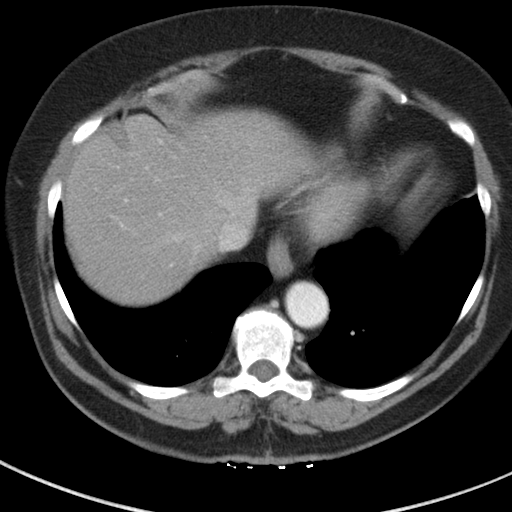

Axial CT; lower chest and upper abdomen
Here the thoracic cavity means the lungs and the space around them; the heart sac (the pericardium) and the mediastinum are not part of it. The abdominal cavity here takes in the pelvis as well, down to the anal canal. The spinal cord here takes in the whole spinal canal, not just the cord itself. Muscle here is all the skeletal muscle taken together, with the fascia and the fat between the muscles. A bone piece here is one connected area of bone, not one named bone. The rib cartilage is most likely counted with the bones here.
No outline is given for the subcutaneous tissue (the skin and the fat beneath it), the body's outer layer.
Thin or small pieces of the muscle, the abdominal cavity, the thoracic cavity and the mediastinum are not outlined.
pericardium: (365, 142) (371, 146) (374, 145) (377, 147) (385, 163) (385, 179) (382, 189) (383, 194) (379, 198) (373, 216) (351, 237) (325, 247) (316, 249) (310, 248) (301, 236) (290, 229) (283, 219) (275, 216) (274, 208) (286, 187) (302, 176) (313, 165) (329, 157) (356, 149)
spinal cord: (259, 360) (267, 360) (268, 361) (270, 361) (274, 365) (275, 365) (275, 366) (277, 368) (277, 373) (275, 375) (272, 376) (269, 379) (265, 381) (261, 381) (259, 380) (259, 379) (255, 375) (249, 372) (249, 369) (250, 367) (255, 362)
bones 1: (253, 307) (276, 312) (295, 331) (294, 346) (287, 370) (297, 379) (309, 378) (313, 381) (314, 388) (309, 399) (303, 400) (283, 390) (274, 391) (262, 398) (246, 389) (221, 397) (213, 394) (211, 383) (215, 376) (232, 376) (240, 368) (231, 340) (231, 332) (236, 318); inner edge: (259, 360) (267, 360) (268, 361) (270, 361) (274, 365) (275, 365) (275, 366) (277, 368) (277, 373) (275, 375) (272, 376) (269, 379) (265, 381) (261, 381) (259, 380) (259, 379) (255, 375) (249, 372) (249, 369) (250, 367) (255, 362)
bones 2: (408, 373) (409, 374) (410, 373) (417, 373) (411, 381) (400, 389) (388, 395) (386, 395) (380, 399) (370, 400) (369, 401) (358, 401) (350, 398) (343, 397) (338, 394) (336, 391) (336, 389) (344, 387) (346, 388) (359, 388) (360, 389) (371, 388) (387, 383) (404, 374)
bones 3: (190, 69) (202, 69) (206, 71) (210, 74) (207, 79) (204, 79) (201, 81) (190, 81) (185, 85) (183, 85) (181, 87) (178, 87) (170, 91) (160, 91) (156, 93) (152, 93) (149, 95) (144, 96) (144, 94) (148, 87) (153, 86) (160, 82) (169, 80) (175, 75)
bones 4: (357, 72) (366, 72) (367, 73) (371, 73) (372, 74) (376, 74) (379, 76) (382, 76) (392, 83) (399, 90) (403, 92) (407, 96) (408, 98) (407, 102) (405, 104) (396, 103) (383, 91) (380, 91) (377, 89) (360, 83) (360, 82) (358, 81) (355, 74)
bones 5: (130, 380) (139, 381) (142, 383) (145, 383) (153, 386) (161, 386) (162, 387) (184, 386) (188, 388) (189, 391) (187, 393) (175, 397) (171, 397) (166, 399) (154, 399) (153, 398) (150, 398) (144, 396) (140, 394) (133, 388) (130, 387) (127, 384) (127, 382)
bones 6: (100, 114) (103, 115) (103, 119) (100, 123) (97, 129) (96, 129) (95, 131) (93, 132) (93, 133) (92, 133) (81, 143) (73, 145) (71, 143) (71, 139) (75, 131) (80, 125) (80, 124) (81, 124) (88, 118) (91, 118) (94, 116) (97, 116)
bones 7: (456, 117) (463, 119) (466, 122) (467, 122) (467, 123) (470, 126) (474, 134) (474, 138) (475, 139) (475, 141) (474, 142) (474, 144) (473, 146) (470, 146) (468, 145) (464, 141) (463, 141) (460, 138) (456, 136) (450, 130) (447, 124) (447, 120) (449, 118) (455, 118)
bones 8: (54, 276) (56, 276) (57, 277) (59, 281) (59, 283) (63, 290) (63, 292) (67, 299) (67, 301) (71, 308) (71, 310) (74, 315) (74, 317) (81, 328) (82, 332) (80, 332) (73, 325) (62, 309) (58, 301) (58, 299) (54, 289) (54, 285) (53, 284) (53, 278)
bones 9: (481, 272) (483, 272) (483, 274) (484, 275) (484, 279) (483, 280) (483, 282) (482, 283) (481, 288) (479, 291) (479, 293) (477, 295) (470, 309) (467, 312) (467, 313) (464, 316) (464, 317) (458, 324) (455, 324) (455, 322) (461, 311) (461, 309) (478, 275)
bones 10: (57, 179) (60, 179) (62, 181) (62, 185) (61, 186) (61, 195) (60, 196) (60, 198) (57, 203) (57, 205) (55, 209) (55, 213) (54, 214) (54, 217) (53, 219) (51, 219) (48, 216) (48, 214) (47, 213) (47, 196) (48, 195) (48, 191) (51, 185)
bones 11: (479, 181) (481, 182) (487, 188) (490, 195) (490, 198) (491, 199) (491, 206) (490, 207) (490, 212) (487, 219) (485, 219) (484, 214) (481, 209) (481, 207) (479, 203) (479, 200) (478, 199) (478, 196) (477, 194) (475, 192) (474, 192) (474, 189) (475, 188) (476, 183)
thoracic cavity 1: (475, 183) (473, 192) (484, 217) (483, 259) (443, 340) (405, 373) (379, 385) (346, 387) (314, 373) (306, 362) (305, 346) (320, 335) (332, 310) (329, 296) (314, 276) (317, 252) (350, 240) (364, 229) (379, 228) (391, 237) (396, 254) (402, 256) (434, 218) (467, 196)
thoracic cavity 2: (59, 201) (63, 244) (75, 274) (89, 290) (120, 308) (144, 309) (159, 305) (179, 294) (205, 270) (222, 264) (256, 262) (267, 268) (271, 282) (235, 318) (224, 357) (210, 373) (183, 385) (153, 385) (122, 373) (101, 355) (76, 319) (57, 275) (53, 249) (53, 225)
mediastinum 1: (266, 207) (272, 207) (274, 216) (283, 220) (310, 249) (321, 248) (313, 259) (313, 276) (328, 296) (331, 310) (319, 335) (304, 346) (305, 361) (294, 353) (296, 331) (281, 314) (262, 306) (253, 306) (243, 311) (272, 282) (268, 268) (256, 261) (225, 263) (249, 248)
mediastinum 2: (387, 98) (396, 104) (411, 106) (429, 114) (449, 129) (463, 143) (471, 158) (475, 182) (465, 192) (467, 195) (459, 199) (461, 179) (446, 161) (440, 146) (433, 141) (410, 141) (391, 149) (382, 155) (376, 145) (371, 145) (366, 141) (382, 113) (382, 108) (384, 107)
abdominal cavity 1: (268, 50) (293, 54) (333, 72) (354, 74) (360, 84) (383, 94) (386, 101) (366, 140) (318, 161) (294, 179) (275, 207) (262, 209) (246, 250) (205, 269) (169, 299) (127, 308) (100, 297) (76, 274) (62, 229) (62, 186) (80, 144) (126, 105) (207, 80) (244, 56)
abdominal cavity 2: (410, 142) (433, 142) (439, 146) (445, 161) (460, 179) (460, 190) (458, 199) (451, 205) (444, 207) (433, 218) (409, 249) (404, 254) (398, 255) (397, 245) (390, 235) (379, 227) (365, 227) (372, 225) (368, 222) (374, 216) (380, 198) (384, 194) (386, 163) (382, 156)
muscle: (258, 45) (299, 46) (330, 50) (370, 60) (387, 68) (392, 73) (403, 79) (407, 83) (426, 92) (430, 96) (439, 100) (443, 104) (448, 105) (452, 109) (459, 112) (471, 123) (492, 165) (493, 171) (499, 180) (501, 189) (502, 199) (500, 202) (501, 205) (499, 208) (500, 226) (497, 244) (498, 251) (497, 267) (491, 295) (489, 298) (485, 324) (477, 341) (440, 376) (410, 396) (363, 423) (344, 430) (330, 431) (323, 433) (320, 436) (307, 434) (302, 435) (296, 434) (287, 428) (274, 423) (269, 424) (265, 419) (260, 419) (258, 421) (255, 421) (249, 428) (231, 435) (226, 435) (220, 432) (198, 431) (195, 429) (183, 429) (162, 424) (149, 419) (103, 395) (93, 387) (80, 380) (71, 373) (57, 359) (46, 330) (42, 308) (40, 305) (37, 271) (35, 264) (36, 209) (34, 206) (39, 198) (37, 194) (38, 184) (50, 160) (55, 154) (58, 144) (63, 136) (79, 119) (104, 105) (119, 93) (123, 92) (132, 83) (142, 80) (153, 72) (165, 66) (183, 58) (194, 55) (204, 55) (216, 51) (233, 48) (245, 48) with a hole at (268, 50) (293, 54) (333, 72) (382, 76) (407, 96) (406, 105) (429, 114) (448, 129) (449, 118) (467, 122) (475, 141) (473, 146) (461, 142) (469, 152) (474, 181) (487, 188) (491, 199) (484, 220) (481, 288) (460, 322) (405, 373) (417, 373) (414, 378) (380, 399) (343, 397) (336, 391) (343, 386) (314, 373) (293, 352) (287, 370) (297, 379) (313, 381) (309, 399) (283, 390) (260, 398) (246, 389) (216, 397) (213, 378) (232, 376) (240, 368) (234, 351) (207, 375) (184, 384) (187, 393) (166, 399) (144, 396) (127, 384) (134, 379) (114, 368) (73, 325) (58, 301) (48, 191) (57, 179) (64, 181) (80, 147) (71, 139) (88, 118) (101, 114) (104, 120) (143, 98) (148, 87) (186, 70) (215, 74) (244, 56)
torso: (246, 4) (332, 6) (414, 26) (474, 58) (511, 100) (511, 334) (477, 379) (440, 409) (387, 440) (328, 461) (284, 466) (237, 461) (194, 463) (143, 450) (92, 421) (56, 386) (38, 356) (1, 231) (10, 152) (38, 98) (72, 58) (100, 39) (136, 24) (194, 9)